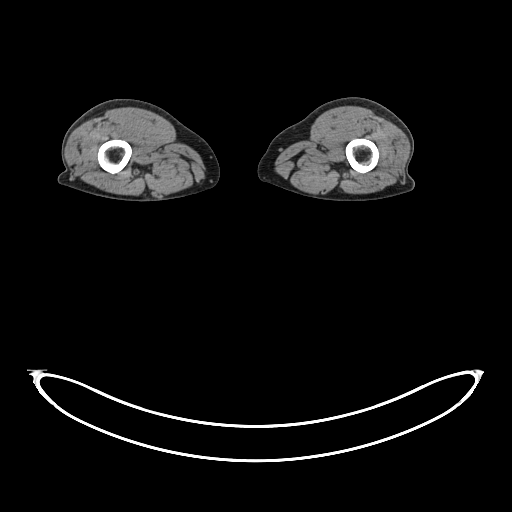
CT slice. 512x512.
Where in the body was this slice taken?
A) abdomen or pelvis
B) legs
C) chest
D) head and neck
B) legs
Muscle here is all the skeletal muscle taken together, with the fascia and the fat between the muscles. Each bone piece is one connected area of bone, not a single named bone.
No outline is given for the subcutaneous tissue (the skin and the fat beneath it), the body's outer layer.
{"muscle":[{"outer":[[127,106],[139,107],[160,114],[176,128],[180,138],[200,154],[205,163],[207,171],[206,180],[200,188],[179,191],[174,194],[159,198],[146,198],[115,194],[69,179],[70,167],[64,157],[64,148],[65,143],[73,130],[82,122],[108,109]],"hole":[[110,139],[123,139],[130,144],[131,148],[132,149],[132,151],[131,152],[131,155],[126,165],[120,171],[119,171],[117,173],[110,173],[104,170],[100,166],[98,162],[98,160],[97,159],[97,153],[98,152],[98,148],[99,146],[105,141],[109,140]]},{"outer":[[343,105],[356,105],[375,110],[383,115],[389,121],[396,125],[404,132],[409,141],[409,154],[403,169],[405,174],[405,185],[367,195],[324,196],[296,189],[278,178],[270,170],[269,163],[276,153],[278,148],[288,145],[307,133],[314,119],[326,110]],"hole":[[362,137],[365,137],[374,142],[377,146],[378,150],[379,151],[379,158],[378,159],[377,164],[371,170],[365,173],[360,173],[356,171],[353,168],[352,168],[349,162],[347,160],[347,158],[345,154],[345,146],[346,144],[350,140],[354,138],[361,138]]}],"left_leg":[[[347,96],[364,97],[382,104],[397,115],[409,128],[414,139],[414,153],[408,167],[408,172],[415,182],[413,190],[376,200],[334,201],[316,199],[296,194],[275,185],[263,182],[258,178],[258,162],[270,141],[280,131],[301,120],[319,105],[333,99]]],"right_leg":[[[113,98],[133,98],[153,103],[169,112],[187,127],[200,135],[210,145],[219,163],[220,177],[216,185],[210,189],[195,194],[169,200],[124,201],[92,195],[59,184],[57,182],[57,176],[64,169],[60,149],[65,132],[69,126],[85,111],[100,102]]],"bones":[[[362,137],[365,137],[374,142],[377,146],[378,150],[379,151],[379,158],[378,159],[377,164],[371,170],[365,173],[360,173],[356,171],[353,168],[352,168],[349,162],[347,160],[347,158],[345,154],[345,146],[346,144],[350,140],[354,138],[361,138]],[[110,139],[123,139],[130,144],[131,148],[132,149],[132,151],[131,152],[131,155],[126,165],[120,171],[119,171],[117,173],[110,173],[104,170],[100,166],[98,162],[98,160],[97,159],[97,153],[98,152],[98,148],[99,146],[105,141],[109,140]]]}